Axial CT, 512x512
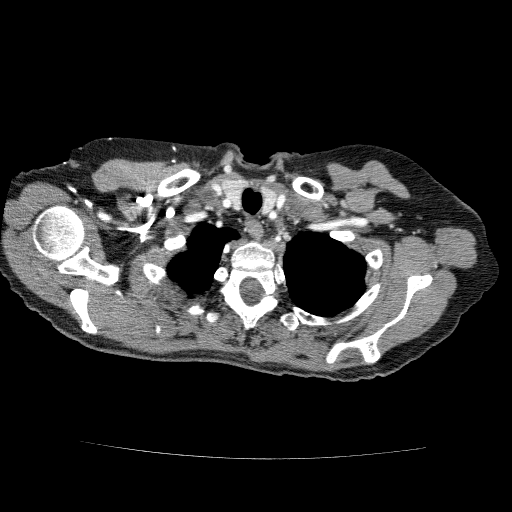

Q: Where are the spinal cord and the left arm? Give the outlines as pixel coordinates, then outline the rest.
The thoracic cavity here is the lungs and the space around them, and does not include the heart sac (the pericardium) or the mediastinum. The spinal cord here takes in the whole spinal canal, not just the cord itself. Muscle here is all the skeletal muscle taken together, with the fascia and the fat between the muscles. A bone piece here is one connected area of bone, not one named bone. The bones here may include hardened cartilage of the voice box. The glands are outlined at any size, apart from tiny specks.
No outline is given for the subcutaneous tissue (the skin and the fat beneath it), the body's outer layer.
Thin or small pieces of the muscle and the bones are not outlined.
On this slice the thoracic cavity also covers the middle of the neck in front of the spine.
A: Outlines (x, y in pixels):
spinal cord: 247 278; 251 278; 252 279; 255 279; 259 283; 259 284; 261 286; 263 290; 263 294; 261 298; 256 303; 254 304; 248 304; 246 303; 244 301; 240 293; 240 286; 241 285; 241 283; 245 279
left arm: 472 207; 479 214; 485 225; 487 240; 488 241; 489 246; 497 260; 498 266; 499 267; 499 274; 496 282; 491 288; 483 294; 482 297; 480 299; 474 292; 469 283; 468 277; 464 269; 464 266; 462 261; 462 233; 465 225; 465 222
right arm: 61 162; 66 166; 71 176; 75 204; 77 206; 79 235; 69 262; 65 264; 22 300; 15 292; 9 288; 7 280; 0 272; 0 238; 2 235; 2 223; 8 191; 11 181; 16 174; 33 168; 39 168; 54 165
thyroid glands 1: 238 179; 244 179; 251 182; 251 183; 247 187; 246 187; 241 193; 241 196; 240 197; 240 206; 239 207; 239 209; 238 210; 236 210; 233 208; 232 206; 232 203; 230 201; 230 200; 228 199; 220 185; 224 180; 237 180
thyroid glands 2: 262 184; 264 185; 265 187; 267 188; 269 188; 275 191; 279 195; 272 209; 270 211; 269 211; 265 214; 264 214; 262 212; 262 208; 263 207; 263 197; 259 189; 260 188; 260 186
thoracic cavity: 251 184; 259 188; 264 215; 283 194; 286 213; 363 255; 366 289; 346 313; 327 317; 293 304; 283 259; 253 239; 214 271; 215 283; 207 291; 189 296; 170 281; 168 262; 194 224; 220 201; 214 187; 219 186; 238 211; 242 193
bones 1: 251 240; 266 244; 278 253; 282 259; 282 268; 285 276; 286 290; 279 292; 278 306; 274 310; 261 317; 253 328; 246 330; 240 317; 225 304; 223 296; 218 291; 221 284; 214 280; 213 275; 215 271; 230 258; 233 252; 244 243; inner edge: 247 278; 251 278; 252 279; 255 279; 259 283; 259 284; 261 286; 263 290; 263 294; 261 298; 256 303; 254 304; 248 304; 246 303; 244 301; 240 293; 240 286; 241 285; 241 283; 245 279
bones 2: 54 205; 65 205; 73 209; 83 224; 85 234; 84 243; 89 248; 89 256; 100 264; 114 264; 118 266; 119 274; 117 281; 107 286; 82 275; 61 273; 57 269; 55 261; 44 256; 36 249; 32 241; 31 227; 37 216; 42 211
bones 3: 426 273; 431 275; 431 283; 413 294; 404 317; 388 327; 378 339; 377 346; 381 356; 377 361; 366 364; 357 348; 347 348; 339 354; 335 362; 332 364; 326 362; 326 355; 335 342; 346 342; 368 336; 393 319; 403 307; 408 277
bones 4: 377 282; 381 283; 381 289; 374 301; 360 314; 347 321; 340 323; 333 322; 327 325; 300 324; 294 331; 290 331; 278 319; 278 316; 282 311; 292 305; 295 305; 311 314; 330 318; 330 320; 333 321; 346 314; 363 293; 374 283
bones 5: 187 166; 189 166; 192 168; 195 168; 197 169; 201 173; 201 176; 200 178; 195 183; 185 188; 178 193; 176 193; 175 194; 173 194; 169 196; 162 196; 158 192; 158 186; 160 182; 165 178; 170 176; 172 174; 177 172; 179 170
bones 6: 80 287; 82 287; 89 292; 89 300; 87 305; 88 313; 91 320; 98 330; 98 333; 94 335; 93 334; 89 334; 85 332; 81 328; 80 326; 81 320; 78 314; 75 312; 74 308; 70 301; 70 292; 73 289; 75 288; 79 288
bones 7: 301 175; 305 175; 306 176; 311 177; 318 182; 319 182; 321 184; 323 188; 323 194; 322 196; 319 199; 317 200; 314 200; 302 194; 297 194; 296 191; 292 187; 291 185; 291 183; 296 178; 296 177; 298 176; 300 176
bones 8: 143 262; 151 262; 152 263; 154 263; 157 266; 160 267; 164 270; 165 268; 165 270; 167 274; 167 278; 168 279; 166 280; 162 280; 159 284; 150 283; 148 279; 144 275; 142 271; 142 266; 141 264
bones 9: 195 304; 198 304; 202 306; 206 310; 213 310; 214 311; 217 311; 219 312; 219 317; 217 321; 214 324; 211 324; 209 323; 205 319; 205 317; 203 315; 191 315; 189 314; 186 311; 186 308; 192 305; 194 305
bones 10: 377 247; 379 247; 382 250; 382 253; 383 254; 383 260; 382 261; 382 263; 379 267; 379 268; 378 269; 375 270; 369 266; 368 267; 367 267; 367 263; 365 260; 365 258; 364 257; 364 254; 367 253; 369 251; 370 251
bones 11: 179 232; 181 232; 186 236; 185 237; 186 239; 183 242; 182 245; 179 248; 178 248; 176 250; 168 250; 166 249; 163 246; 162 246; 163 244; 163 241; 166 237; 171 237; 172 236; 174 236; 176 235
muscle: 230 149; 254 168; 276 157; 353 169; 377 160; 411 195; 391 208; 405 233; 431 241; 438 227; 468 229; 477 261; 439 320; 382 356; 381 336; 433 280; 428 272; 408 276; 393 318; 335 341; 325 355; 332 365; 357 349; 368 365; 334 372; 212 351; 151 354; 88 336; 99 333; 88 290; 69 292; 79 325; 11 269; 0 243; 7 201; 34 181; 96 195; 91 174; 112 158; 182 160, around holes outlined by 238 179; 283 194; 285 212; 310 230; 351 230; 354 240; 343 242; 349 249; 363 255; 379 247; 381 265; 376 270; 367 267; 363 275; 367 290; 381 283; 374 301; 347 321; 300 324; 290 331; 278 319; 293 304; 282 290; 278 306; 246 330; 225 304; 218 282; 193 296; 169 279; 150 283; 141 264; 151 262; 164 270; 176 251; 162 246; 165 238; 179 232; 187 236; 220 201; 214 187 and by 54 205; 65 205; 73 209; 83 224; 85 234; 84 243; 89 248; 89 256; 100 264; 114 264; 118 266; 119 274; 117 281; 107 286; 82 275; 61 273; 57 269; 55 261; 44 256; 36 249; 32 241; 31 227; 37 216; 42 211 and by 187 166; 189 166; 192 168; 195 168; 197 169; 201 173; 201 176; 200 178; 195 183; 185 188; 178 193; 176 193; 175 194; 173 194; 169 196; 162 196; 158 192; 158 186; 160 182; 165 178; 170 176; 172 174; 177 172; 179 170 and by 301 175; 305 175; 306 176; 311 177; 318 182; 319 182; 321 184; 323 188; 323 194; 322 196; 319 199; 317 200; 314 200; 302 194; 297 194; 296 191; 292 187; 291 185; 291 183; 296 178; 296 177; 298 176; 300 176 and by 195 304; 198 304; 202 306; 206 310; 213 310; 214 311; 217 311; 219 312; 219 317; 217 321; 214 324; 211 324; 209 323; 205 319; 205 317; 203 315; 191 315; 189 314; 186 311; 186 308; 192 305; 194 305 and by 156 324; 158 324; 161 327; 161 328; 160 329; 160 333; 159 334; 156 334; 155 333; 155 332; 154 331; 154 329; 155 328; 155 325 and by 117 290; 118 290; 122 294; 122 297; 123 298; 123 299; 124 300; 124 301; 123 301; 122 300; 122 299; 118 295; 117 295; 115 293; 115 291; 116 291
torso: 117 136; 233 142; 246 160; 259 164; 276 151; 307 153; 356 143; 398 151; 471 207; 461 233; 461 261; 480 300; 421 357; 387 376; 355 382; 213 362; 154 362; 87 348; 22 301; 70 262; 80 235; 72 176; 63 162; 74 147